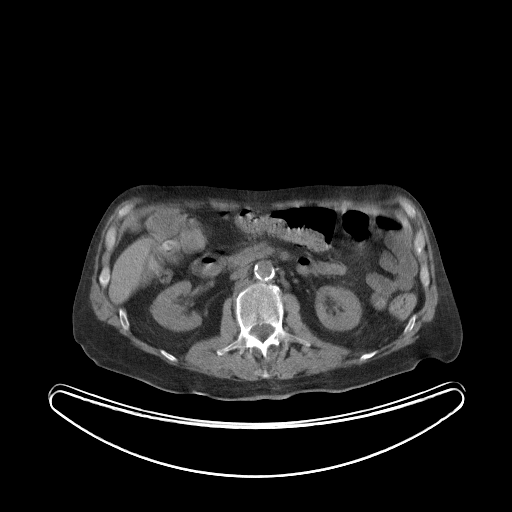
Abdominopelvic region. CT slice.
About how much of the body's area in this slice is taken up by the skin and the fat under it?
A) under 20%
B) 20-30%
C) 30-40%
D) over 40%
Answer: B) 20-30%
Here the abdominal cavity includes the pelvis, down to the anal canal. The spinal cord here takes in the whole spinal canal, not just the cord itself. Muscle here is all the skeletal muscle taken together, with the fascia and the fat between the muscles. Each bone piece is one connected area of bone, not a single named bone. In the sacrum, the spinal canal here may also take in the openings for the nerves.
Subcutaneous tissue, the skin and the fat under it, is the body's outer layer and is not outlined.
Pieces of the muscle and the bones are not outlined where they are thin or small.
The abdominal cavity is outlined by (304, 204) (386, 213) (403, 224) (414, 246) (423, 303) (397, 337) (376, 349) (353, 352) (321, 339) (304, 322) (296, 296) (283, 295) (275, 283) (250, 283) (235, 297) (227, 297) (218, 334) (195, 341) (178, 355) (138, 337) (126, 311) (108, 297) (114, 248) (140, 215). The muscle is outlined by (397, 192) (406, 196) (415, 204) (420, 211) (425, 223) (433, 252) (434, 266) (435, 267) (435, 278) (436, 279) (436, 286) (438, 292) (438, 301) (432, 320) (424, 327) (421, 333) (418, 335) (419, 336) (418, 338) (414, 342) (396, 351) (394, 351) (377, 359) (374, 359) (369, 362) (360, 365) (354, 365) (350, 367) (341, 367) (333, 370) (330, 370) (325, 373) (319, 373) (309, 376) (295, 377) (285, 380) (261, 379) (255, 381) (245, 381) (244, 380) (233, 380) (225, 378) (217, 378) (213, 376) (209, 376) (202, 373) (191, 371) (169, 364) (159, 357) (141, 350) (133, 345) (130, 340) (126, 336) (120, 333) (114, 326) (99, 320) (94, 313) (94, 311) (91, 306) (89, 298) (89, 294) (92, 283) (91, 278) (93, 274) (94, 260) (95, 259) (97, 246) (100, 240) (101, 232) (108, 218) (113, 212) (116, 206) (119, 203) (128, 198) (134, 196) (143, 198) (208, 198) (209, 199) (233, 201) (234, 202) (267, 203) (268, 202) (279, 202) (280, 201) (300, 200) (301, 199) (319, 200) (325, 198) (329, 199) (338, 199) (339, 198) (365, 199) (366, 198) (369, 199) (377, 195) (387, 195), around holes outlined by (304, 204) (386, 213) (403, 224) (413, 244) (422, 229) (425, 245) (417, 259) (429, 273) (423, 303) (412, 329) (378, 347) (373, 356) (360, 361) (366, 351) (353, 352) (315, 335) (292, 293) (282, 296) (282, 327) (310, 345) (291, 340) (285, 347) (281, 341) (268, 348) (266, 358) (256, 347) (217, 354) (240, 332) (234, 295) (223, 301) (218, 334) (195, 341) (176, 361) (130, 327) (122, 327) (120, 308) (98, 278) (137, 217) (185, 209) and by (113, 225) (114, 226) (115, 226) (117, 229) (117, 232) (116, 233) (116, 238) (115, 239) (115, 242) (114, 243) (114, 245) (113, 246) (112, 249) (111, 249) (110, 250) (108, 250) (105, 246) (105, 237) (106, 236) (106, 233) (107, 232) (108, 229) (111, 226) (112, 226) and by (402, 200) (405, 200) (408, 203) (409, 203) (414, 208) (414, 209) (415, 210) (415, 216) (414, 217) (410, 217) (409, 216) (408, 216) (407, 215) (407, 214) (406, 213) (406, 212) (405, 211) (405, 210) (403, 208) (403, 207) (402, 206) (402, 205) (401, 204) (401, 201) and by (126, 204) (129, 204) (130, 205) (130, 208) (129, 209) (129, 210) (128, 211) (128, 212) (125, 215) (124, 215) (123, 216) (120, 216) (119, 215) (119, 214) (118, 213) (118, 212) (119, 211) (119, 210) (123, 206) (124, 206). The spinal cord is outlined by (264, 324) (267, 324) (268, 325) (271, 326) (273, 328) (273, 330) (272, 331) (272, 332) (264, 340) (260, 340) (256, 336) (255, 336) (254, 335) (253, 335) (250, 333) (250, 331) (252, 329) (252, 328) (253, 327) (254, 327) (257, 325) (260, 326) (261, 325) (263, 325). The torso is outlined by (373, 182) (403, 187) (418, 200) (428, 217) (462, 323) (461, 349) (453, 361) (443, 363) (425, 358) (412, 370) (343, 392) (303, 392) (283, 399) (226, 401) (164, 391) (100, 367) (74, 340) (72, 305) (90, 240) (110, 202) (127, 188) (143, 183) (206, 183) (267, 189). The bones appear in 11 outlined pieces: piece 1: (254, 283) (279, 287) (284, 307) (283, 329) (307, 340) (309, 346) (291, 340) (285, 347) (281, 341) (279, 345) (268, 348) (266, 358) (256, 347) (251, 351) (245, 348) (242, 353) (235, 348) (217, 354) (218, 349) (237, 338) (240, 327) (234, 313) (235, 298) (240, 291); inner edge: (264, 324) (267, 324) (268, 325) (271, 326) (273, 328) (273, 330) (272, 331) (272, 332) (264, 340) (260, 340) (256, 336) (255, 336) (254, 335) (253, 335) (250, 333) (250, 331) (252, 329) (252, 328) (253, 327) (254, 327) (257, 325) (260, 326) (261, 325) (263, 325); piece 2: (419, 228) (421, 228) (422, 229) (422, 232) (423, 233) (423, 237) (424, 238) (424, 242) (425, 243) (425, 245) (424, 246) (424, 248) (423, 249) (422, 253) (420, 255) (417, 255) (416, 254) (416, 251) (415, 250) (415, 246) (414, 245) (414, 239) (415, 238) (415, 233); piece 3: (113, 225) (114, 226) (115, 226) (117, 229) (117, 232) (116, 233) (116, 238) (115, 239) (115, 242) (114, 243) (114, 245) (113, 246) (112, 249) (111, 249) (110, 250) (108, 250) (105, 246) (105, 237) (106, 236) (106, 233) (107, 232) (108, 229) (111, 226) (112, 226); piece 4: (105, 266) (107, 266) (109, 268) (109, 280) (107, 283) (107, 285) (105, 287) (102, 287) (102, 286) (100, 284) (100, 283) (99, 282) (99, 280) (98, 279) (98, 278) (99, 277) (99, 275) (100, 274) (100, 272) (101, 271) (101, 270) (103, 268) (103, 267) (104, 267); piece 5: (423, 265) (425, 265) (427, 267) (427, 269) (428, 270) (428, 272) (429, 273) (429, 284) (428, 285) (428, 286) (427, 286) (426, 287) (424, 287) (422, 285) (422, 283) (421, 282) (421, 281) (420, 280) (420, 271) (421, 270) (421, 267); piece 6: (120, 308) (122, 308) (125, 311) (125, 312) (126, 313) (126, 315) (127, 316) (127, 319) (128, 320) (128, 321) (129, 322) (129, 329) (128, 329) (127, 330) (125, 330) (122, 327) (122, 326) (121, 325) (121, 324) (120, 323) (120, 320) (119, 319) (119, 309); piece 7: (402, 200) (405, 200) (408, 203) (409, 203) (414, 208) (414, 209) (415, 210) (415, 216) (414, 217) (410, 217) (409, 216) (408, 216) (407, 215) (407, 214) (406, 213) (406, 212) (405, 211) (405, 210) (403, 208) (403, 207) (402, 206) (402, 205) (401, 204) (401, 201); piece 8: (414, 314) (415, 314) (416, 317) (415, 318) (415, 322) (414, 323) (414, 325) (413, 326) (412, 329) (411, 330) (408, 331) (406, 333) (404, 333) (403, 332) (403, 331) (404, 330) (404, 328) (406, 326) (406, 325) (407, 324) (408, 321) (410, 319) (410, 318); piece 9: (373, 350) (376, 350) (377, 351) (377, 352) (373, 356) (372, 356) (371, 357) (370, 357) (369, 358) (368, 358) (367, 359) (366, 359) (363, 361) (360, 361) (359, 360) (359, 357) (362, 354) (363, 354) (364, 353) (366, 353) (367, 352) (370, 352); piece 10: (161, 349) (163, 349) (164, 350) (165, 350) (167, 352) (168, 352) (169, 353) (172, 354) (174, 356) (175, 356) (176, 357) (177, 360) (176, 361) (172, 361) (171, 360) (168, 359) (166, 357) (165, 357) (160, 352) (160, 350); piece 11: (126, 204) (129, 204) (130, 205) (130, 208) (129, 209) (129, 210) (128, 211) (128, 212) (125, 215) (124, 215) (123, 216) (120, 216) (119, 215) (119, 214) (118, 213) (118, 212) (119, 211) (119, 210) (123, 206) (124, 206).